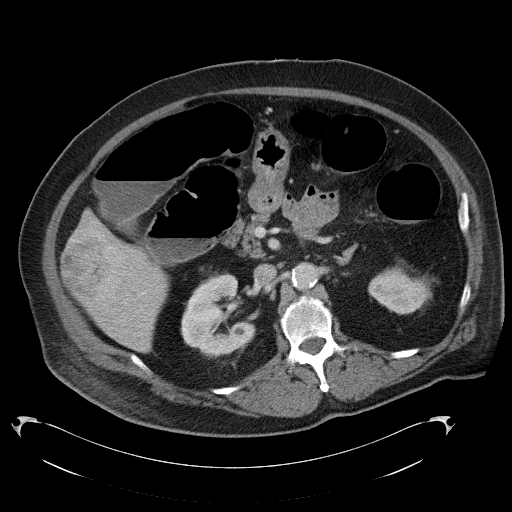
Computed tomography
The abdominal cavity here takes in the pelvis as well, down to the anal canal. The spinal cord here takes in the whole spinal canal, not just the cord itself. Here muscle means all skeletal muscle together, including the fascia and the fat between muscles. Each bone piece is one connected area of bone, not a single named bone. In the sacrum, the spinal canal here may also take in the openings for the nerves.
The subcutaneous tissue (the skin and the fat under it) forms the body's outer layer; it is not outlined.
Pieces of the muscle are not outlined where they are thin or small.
Outlined structures:
spinal cord: 314,337 318,337 319,338 322,338 324,340 324,343 322,347 319,350 318,352 317,352 315,354 311,354 306,351 304,351 302,350 300,348 300,345 305,340 307,339 309,339 310,338 313,338
abdominal cavity: 234,94 363,107 397,122 433,152 453,186 467,248 455,319 442,339 392,351 350,339 331,310 304,293 273,325 271,358 231,385 196,389 174,383 96,333 58,276 57,235 72,197 134,131 190,101
muscle: 252,86 295,86 296,87 311,87 329,89 366,99 382,105 415,122 432,134 454,157 474,188 483,221 483,263 482,264 483,271 481,274 481,282 479,286 478,319 476,326 476,334 467,344 452,354 415,375 363,399 357,401 351,400 342,401 336,397 326,395 313,411 299,417 251,417 245,415 239,415 218,408 205,408 176,404 162,399 153,394 140,382 132,377 100,369 84,361 81,358 68,338 55,312 54,305 51,300 41,269 41,252 46,227 60,197 72,180 102,144 116,132 132,121 161,106 184,97 201,94 209,91 218,91 225,89 with a hole at 234,94 363,107 433,152 469,216 470,295 442,339 393,358 350,339 335,316 334,340 353,347 324,361 323,392 309,364 285,362 276,322 275,354 226,395 149,375 96,333 58,276 72,197 134,131
bones 1: 304,294 319,299 330,310 331,332 334,340 340,345 353,346 341,352 334,352 324,361 323,371 329,386 326,392 320,389 320,380 309,364 296,363 289,366 284,360 289,353 290,344 281,329 279,320 286,307 with a hole at 314,337 318,337 319,338 322,338 324,340 324,343 322,347 319,350 318,352 317,352 315,354 311,354 306,351 304,351 302,350 300,348 300,345 305,340 307,339 309,339 310,338 313,338
bones 2: 463,191 465,191 467,193 467,196 468,197 468,215 469,216 469,226 468,227 468,230 467,232 464,235 462,233 460,229 460,227 459,226 459,222 458,221 458,208 459,207 459,204 461,200 461,193
bones 3: 415,347 418,347 419,348 419,350 416,353 415,353 410,356 408,356 407,357 402,357 401,358 393,358 392,357 390,357 390,353 393,351 398,351 399,350 404,350 405,349 409,349 410,348 414,348
bones 4: 466,282 468,282 470,285 470,288 471,289 470,290 470,295 469,296 468,301 464,306 463,309 462,310 461,310 458,308 458,304 460,301 460,298 461,297 461,295 462,294 462,292 463,291 464,284
bones 5: 240,384 243,384 243,386 242,387 241,387 239,389 227,395 225,394 217,394 216,393 214,393 212,392 210,390 211,388 220,388 221,387 227,387 228,386 235,386 236,385 239,385
bones 6: 130,353 133,353 135,355 136,355 151,370 151,371 152,372 152,373 150,375 149,375 148,374 147,374 140,367 139,367 135,363 134,363 132,361 132,360 131,359 131,358 130,357
torso: 282,58 341,58 392,74 443,105 478,145 493,183 504,256 504,314 485,372 470,379 443,379 371,410 287,434 207,437 123,420 65,385 44,363 17,259 19,231 30,200 73,136 133,91 206,65